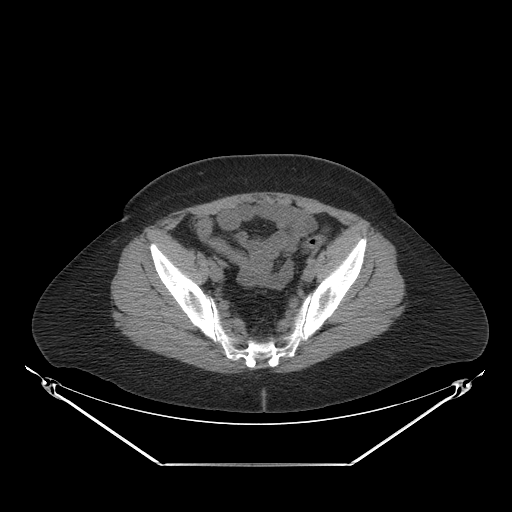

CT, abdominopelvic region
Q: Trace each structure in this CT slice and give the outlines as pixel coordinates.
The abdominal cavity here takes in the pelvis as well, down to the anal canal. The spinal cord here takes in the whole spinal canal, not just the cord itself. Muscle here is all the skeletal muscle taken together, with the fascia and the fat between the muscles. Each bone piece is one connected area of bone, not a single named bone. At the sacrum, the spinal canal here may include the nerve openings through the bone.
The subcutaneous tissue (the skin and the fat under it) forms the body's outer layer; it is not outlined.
A: {"muscle":[{"outer":[[254,191],[291,193],[353,212],[369,221],[394,245],[397,267],[405,283],[406,306],[390,328],[376,338],[309,367],[285,373],[271,372],[267,368],[230,374],[209,371],[143,349],[120,333],[111,315],[110,284],[123,248],[146,226],[173,211],[224,196]],"hole":[[258,200],[327,213],[347,226],[318,254],[318,283],[361,238],[366,247],[358,276],[320,328],[292,357],[273,367],[258,360],[250,368],[243,358],[228,358],[191,322],[160,279],[149,246],[156,244],[201,287],[209,274],[204,254],[168,231],[187,217]]},[[219,308],[221,308],[222,310],[227,312],[230,316],[232,317],[237,317],[239,318],[243,322],[245,326],[246,331],[249,335],[249,336],[246,338],[245,341],[243,340],[239,340],[235,336],[231,336],[227,333],[221,321],[221,317],[219,313]],[[295,308],[297,309],[297,312],[293,318],[293,322],[292,323],[292,326],[293,327],[292,328],[292,330],[288,334],[284,334],[283,335],[280,335],[278,337],[276,337],[276,335],[278,333],[276,330],[276,327],[278,322],[284,318],[288,312],[293,310]]],"bones":[{"outer":[[363,237],[362,266],[336,309],[300,341],[292,357],[281,357],[273,367],[258,360],[250,368],[243,358],[228,358],[220,343],[191,322],[164,285],[149,248],[156,244],[214,300],[223,328],[238,340],[235,347],[243,349],[249,337],[288,335],[303,300]],"hole":[[280,339],[281,339],[282,340],[283,340],[283,341],[284,342],[284,343],[283,344],[283,345],[282,346],[281,346],[280,347],[279,347],[278,346],[277,346],[277,345],[276,344],[276,343],[277,342],[277,341],[278,340],[279,340]]}],"abdominal_cavity":[[[258,200],[290,204],[310,213],[327,213],[347,226],[316,258],[315,276],[319,283],[298,308],[277,322],[275,336],[265,339],[250,336],[239,317],[218,309],[215,300],[201,287],[209,274],[204,254],[196,247],[185,247],[168,232],[187,217],[213,214]]],"torso":[[[261,153],[329,159],[376,183],[398,213],[479,297],[489,324],[482,354],[471,361],[430,367],[350,401],[286,413],[232,412],[165,403],[125,391],[86,371],[50,364],[31,334],[35,305],[56,274],[121,218],[126,202],[151,180],[183,164],[221,155]]],"spinal_cord":[[[238,341],[243,341],[244,342],[245,342],[245,343],[246,344],[246,345],[245,346],[245,347],[244,347],[243,348],[238,348],[237,347],[236,347],[236,346],[235,345],[235,344],[236,343],[236,342],[237,342]],[[280,339],[281,339],[282,340],[283,340],[283,341],[284,342],[284,343],[283,344],[283,345],[282,346],[281,346],[280,347],[279,347],[278,346],[277,346],[277,345],[276,344],[276,343],[277,342],[277,341],[278,340],[279,340]]]}